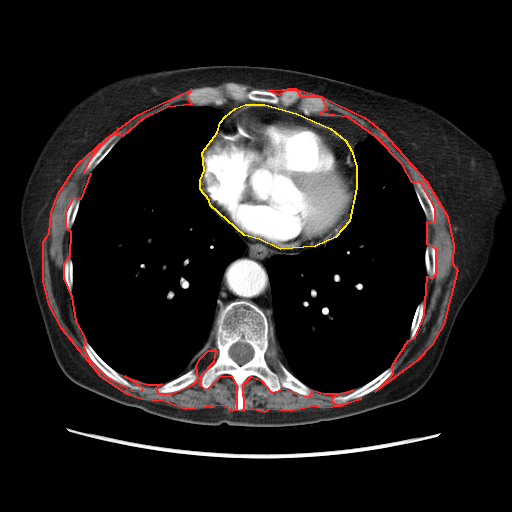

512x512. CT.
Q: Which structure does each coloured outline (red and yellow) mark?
A: red: muscle; yellow: pericardium.
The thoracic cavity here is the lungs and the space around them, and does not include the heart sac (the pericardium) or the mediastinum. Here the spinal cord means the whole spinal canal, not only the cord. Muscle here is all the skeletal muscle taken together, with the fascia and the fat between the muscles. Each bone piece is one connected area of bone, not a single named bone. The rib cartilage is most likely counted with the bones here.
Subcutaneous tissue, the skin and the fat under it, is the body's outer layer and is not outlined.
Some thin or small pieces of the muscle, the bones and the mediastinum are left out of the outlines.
The muscle appears in 3 outlined pieces: piece 1: (191, 89) (186, 96) (191, 104) (167, 107) (142, 119) (122, 136) (116, 133) (115, 134) (111, 135) (101, 144) (89, 159) (83, 172) (90, 173) (80, 199) (73, 197) (65, 212) (65, 227) (70, 231) (69, 256) (63, 264) (63, 278) (71, 296) (75, 321) (85, 339) (83, 348) (89, 359) (106, 376) (131, 390) (141, 391) (143, 388) (125, 376) (147, 384) (161, 384) (155, 388) (158, 393) (172, 393) (194, 383) (198, 378) (196, 365) (200, 358) (208, 350) (215, 350) (213, 362) (200, 376) (200, 385) (207, 389) (221, 375) (231, 376) (236, 385) (236, 410) (232, 411) (221, 405) (185, 409) (163, 401) (141, 399) (127, 394) (101, 377) (62, 329) (49, 305) (43, 281) (43, 241) (49, 233) (51, 212) (58, 193) (77, 164) (106, 138) (138, 114); piece 2: (282, 89) (297, 89) (321, 96) (364, 117) (381, 130) (426, 181) (447, 216) (453, 244) (452, 263) (457, 270) (443, 324) (431, 345) (417, 360) (375, 391) (393, 373) (392, 365) (408, 340) (415, 337) (424, 315) (427, 276) (432, 278) (436, 273) (436, 249) (427, 244) (427, 221) (435, 223) (435, 208) (421, 183) (412, 182) (402, 164) (376, 137) (348, 117) (320, 113) (327, 108) (322, 97) (301, 97) (296, 89) (287, 89) (278, 95) (267, 90); piece 3: (251, 376) (261, 380) (271, 392) (285, 388) (297, 394) (309, 396) (313, 390) (324, 393) (341, 393) (353, 390) (332, 397) (331, 400) (337, 405) (361, 398) (341, 406) (323, 408) (313, 406) (291, 411) (269, 409) (264, 412) (252, 409) (242, 410) (244, 409) (243, 384). The pericardium is outlined by (245, 104) (264, 104) (296, 113) (330, 128) (345, 140) (351, 150) (356, 166) (356, 187) (349, 221) (335, 237) (315, 246) (280, 249) (259, 239) (244, 235) (210, 205) (209, 200) (200, 189) (200, 180) (204, 170) (202, 152) (217, 132) (220, 122) (225, 116) (235, 108). The bones appear in 11 outlined pieces: piece 1: (233, 301) (250, 302) (265, 314) (269, 344) (285, 367) (312, 389) (311, 394) (285, 387) (271, 391) (251, 375) (242, 384) (243, 409) (238, 410) (237, 385) (231, 375) (221, 374) (209, 387) (202, 387) (201, 376) (217, 351) (201, 351) (208, 342) (214, 342) (215, 321); inner edge: (237, 342) (246, 343) (247, 344) (248, 344) (252, 348) (252, 349) (253, 350) (253, 355) (252, 356) (252, 357) (248, 361) (247, 361) (245, 363) (244, 363) (241, 365) (238, 364) (231, 357) (231, 356) (229, 353) (229, 350) (230, 349) (231, 346) (233, 344) (234, 344); piece 2: (231, 82) (244, 86) (248, 91) (266, 90) (278, 96) (287, 90) (296, 90) (301, 98) (322, 98) (326, 108) (321, 112) (306, 114) (300, 109) (300, 99) (286, 106) (249, 99) (235, 100) (227, 96) (219, 105) (195, 105) (187, 98) (192, 90) (203, 87) (223, 89); piece 3: (391, 366) (392, 366) (393, 368) (393, 371) (390, 376) (383, 383) (382, 383) (377, 388) (371, 392) (361, 397) (348, 400) (344, 403) (339, 403) (337, 404) (332, 400) (332, 398) (334, 397) (346, 395) (355, 389) (363, 386) (365, 384) (368, 383) (374, 379) (386, 369); piece 4: (84, 341) (86, 341) (91, 346) (94, 351) (111, 368) (112, 368) (115, 371) (120, 374) (130, 383) (131, 383) (133, 385) (141, 387) (142, 389) (141, 390) (131, 389) (115, 381) (113, 379) (106, 375) (90, 359) (90, 358) (88, 356) (84, 348) (84, 345) (83, 344); piece 5: (193, 367) (196, 367) (196, 373) (197, 374) (197, 378) (194, 382) (191, 383) (189, 385) (179, 390) (173, 391) (172, 392) (164, 392) (163, 393) (162, 392) (158, 392) (156, 390) (156, 388) (160, 385) (164, 383) (169, 382) (177, 378) (179, 376) (182, 375); piece 6: (415, 181) (417, 181) (420, 183) (422, 187) (425, 190) (425, 191) (429, 196) (432, 202) (432, 204) (434, 208) (434, 211) (435, 212) (435, 221) (434, 223) (426, 219) (425, 213) (421, 206) (421, 204) (418, 199) (418, 197) (416, 194) (416, 192) (413, 185) (413, 182); piece 7: (116, 134) (121, 137) (116, 142) (116, 143) (111, 148) (111, 149) (106, 154) (106, 155) (99, 162) (99, 163) (91, 171) (89, 171) (85, 173) (84, 171) (85, 170) (86, 165) (88, 163) (90, 159) (99, 149) (102, 144) (103, 144) (111, 136) (115, 135); piece 8: (427, 245) (432, 245) (434, 247) (434, 248) (435, 249) (435, 256) (436, 257) (436, 263) (435, 264) (435, 273) (434, 274) (434, 275) (432, 277) (429, 277) (427, 275) (427, 271) (426, 270) (426, 262) (425, 261) (425, 251) (426, 250) (426, 247) (427, 246); piece 9: (73, 198) (76, 198) (80, 200) (79, 201) (79, 205) (78, 206) (78, 209) (77, 210) (77, 212) (76, 213) (76, 215) (75, 216) (74, 221) (71, 226) (71, 228) (70, 229) (67, 229) (66, 227) (66, 212) (67, 211) (68, 204) (69, 202); piece 10: (422, 301) (424, 304) (424, 310) (423, 311) (423, 315) (422, 316) (422, 318) (421, 319) (419, 327) (414, 337) (412, 339) (410, 339) (409, 337) (410, 336) (410, 332) (411, 331) (411, 325) (412, 324) (412, 321) (413, 320) (413, 318) (414, 317) (416, 309) (418, 305); piece 11: (68, 257) (70, 257) (71, 259) (71, 261) (72, 262) (72, 277) (73, 278) (73, 283) (72, 284) (72, 291) (71, 292) (71, 295) (70, 295) (68, 292) (68, 290) (66, 287) (66, 284) (65, 283) (65, 279) (64, 278) (64, 264) (65, 263) (65, 261) (66, 259). The thoracic cavity appears in 2 outlined pieces: piece 1: (180, 105) (208, 106) (221, 114) (216, 132) (200, 155) (203, 170) (197, 187) (208, 206) (241, 238) (245, 248) (221, 276) (213, 342) (203, 346) (195, 366) (169, 381) (154, 384) (119, 373) (84, 337) (72, 305) (74, 278) (69, 239) (91, 172) (139, 122); piece 2: (369, 134) (381, 142) (401, 164) (424, 213) (425, 291) (415, 309) (408, 339) (395, 361) (359, 387) (341, 392) (324, 392) (298, 379) (270, 344) (270, 323) (274, 321) (272, 288) (266, 264) (275, 255) (296, 255) (324, 245) (349, 225) (359, 184) (355, 148) (365, 142). The spinal cord is outlined by (237, 342) (246, 343) (247, 344) (248, 344) (252, 348) (252, 349) (253, 350) (253, 355) (252, 356) (252, 357) (248, 361) (247, 361) (245, 363) (244, 363) (241, 365) (238, 364) (231, 357) (231, 356) (229, 353) (229, 350) (230, 349) (231, 346) (233, 344) (234, 344). The mediastinum appears in 2 outlined pieces: piece 1: (204, 196) (220, 216) (248, 238) (259, 240) (280, 250) (315, 247) (296, 254) (275, 254) (267, 260) (265, 267) (271, 288) (272, 323) (256, 304) (247, 300) (229, 302) (219, 311) (215, 319) (220, 283) (224, 271) (231, 262) (243, 255) (246, 246) (242, 238) (209, 206); piece 2: (228, 100) (249, 100) (295, 106) (306, 115) (319, 113) (343, 116) (355, 122) (368, 133) (365, 141) (358, 143) (354, 148) (358, 173) (357, 187) (356, 162) (351, 148) (339, 133) (296, 112) (282, 109) (264, 103) (245, 103) (242, 104) (229, 111) (222, 119) (218, 109) (206, 105) (219, 106). The torso is outlined by (208, 65) (291, 69) (404, 96) (439, 112) (489, 152) (505, 213) (497, 225) (489, 263) (461, 307) (434, 373) (413, 395) (358, 415) (307, 425) (196, 425) (108, 399) (76, 384) (60, 369) (37, 303) (19, 221) (22, 195) (37, 155) (60, 117) (103, 84) (137, 72).